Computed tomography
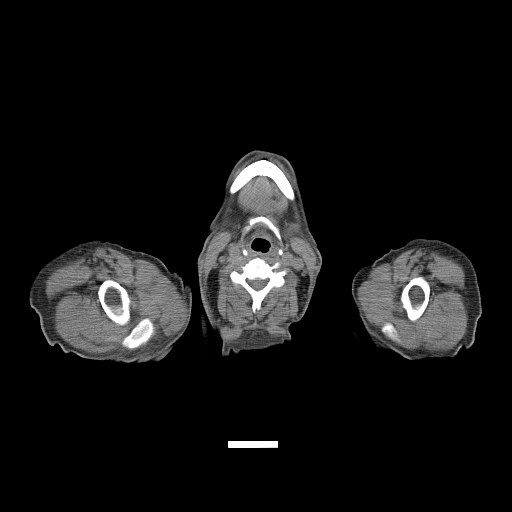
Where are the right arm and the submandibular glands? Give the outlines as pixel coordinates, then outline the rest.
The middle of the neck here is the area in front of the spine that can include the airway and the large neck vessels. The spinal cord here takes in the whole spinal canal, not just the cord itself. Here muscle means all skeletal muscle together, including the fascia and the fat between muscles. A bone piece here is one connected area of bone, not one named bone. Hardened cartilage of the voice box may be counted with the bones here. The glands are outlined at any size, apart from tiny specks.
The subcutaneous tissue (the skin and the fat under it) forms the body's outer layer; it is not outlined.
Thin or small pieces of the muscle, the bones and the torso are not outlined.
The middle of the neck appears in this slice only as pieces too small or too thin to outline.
The right arm is outlined by 96,239 151,254 190,284 192,309 189,323 184,333 162,360 128,363 88,359 74,353 66,353 57,344 50,345 43,335 39,316 29,304 29,290 32,281 42,266 55,256 76,244. The submandibular glands are outlined by 286,222 288,224 289,224 290,225 295,225 296,226 299,226 299,229 297,231 297,232 295,232 294,233 292,233 290,235 289,235 286,238 285,238 285,236 283,234 283,229 284,228 284,226 285,225 285,223. The head and neck is outlined by 254,149 281,154 294,169 309,227 321,254 322,265 304,315 299,321 289,326 290,341 265,349 244,350 237,354 231,352 223,358 221,341 201,306 197,260 208,233 208,227 222,202 223,187 230,170 242,156 with a hole at 258,238 259,238 260,239 263,239 264,240 265,240 265,241 266,242 267,242 267,249 265,249 263,251 262,250 260,250 259,249 256,249 254,247 254,246 253,245 254,244 254,240 255,240 256,239 257,239. The muscle appears in 4 outlined pieces: piece 1: 256,176 270,178 286,198 290,201 296,199 302,228 315,253 317,268 305,284 296,316 283,325 284,335 273,336 266,331 250,330 227,342 222,331 223,322 210,290 205,287 202,261 222,220 228,194 236,193, around holes outlined by 252,258 262,258 270,265 279,262 280,267 287,270 287,273 284,276 284,284 280,287 273,287 262,300 260,308 254,313 252,310 252,298 250,294 240,284 234,284 229,276 232,270 239,271 240,266 244,265 and by 257,216 263,216 267,218 276,227 278,228 279,233 281,237 281,243 279,242 277,238 274,235 272,230 269,227 261,222 258,222 254,224 250,230 247,233 243,235 244,228 249,223 249,220 251,218 253,218; piece 2: 98,246 113,248 133,259 148,260 173,282 187,304 186,319 176,333 138,348 156,330 147,316 121,340 121,345 131,350 106,353 74,347 58,334 54,327 54,309 45,294 45,281 55,268 86,254 89,256; inner edge: 107,279 111,279 118,282 125,288 130,298 130,319 129,320 129,322 125,325 123,325 122,326 121,325 118,325 112,321 107,316 103,310 102,306 100,303 97,291 98,290 99,285 104,280 106,280; piece 3: 414,247 426,248 437,251 442,255 450,256 463,267 465,273 465,292 463,295 468,315 467,326 463,337 450,349 408,349 379,338 374,334 375,328 367,321 358,301 357,289 374,267 382,263 390,263 402,252, around holes outlined by 417,276 422,276 428,282 429,286 430,287 430,292 429,293 429,299 423,313 415,321 411,321 407,317 406,312 402,306 402,304 400,301 400,296 401,295 401,293 404,286 412,278 416,277 and by 386,322 389,322 390,323 391,323 394,326 395,329 397,331 397,333 398,334 398,336 399,337 399,341 398,342 396,342 395,341 393,341 392,340 389,339 387,337 386,337 381,332 381,327; piece 4: 256,155 270,156 279,160 285,166 285,167 290,173 294,182 294,190 290,181 286,176 285,173 274,162 266,158 260,158 259,159 254,160 244,166 238,172 238,173 234,177 232,181 232,178 235,171 246,160. The bones appear in 7 outlined pieces: piece 1: 252,258 262,258 270,265 279,262 280,267 287,270 287,273 284,276 284,284 280,287 273,287 262,300 260,308 254,313 252,310 252,298 250,294 240,284 234,284 229,276 232,270 239,271 240,266 244,265 with a hole at 248,279 249,280 254,280 255,279 261,279 262,280 264,280 265,279 267,279 268,280 267,281 267,282 266,283 266,284 262,288 261,288 258,290 256,290 255,289 254,289 248,283 248,282 247,281 247,280; piece 2: 107,279 111,279 118,282 125,288 130,298 130,319 129,320 129,322 125,325 123,325 122,326 121,325 118,325 112,321 107,316 103,310 102,306 100,303 97,291 98,290 99,285 104,280 106,280; piece 3: 260,159 266,159 274,163 284,173 294,191 295,198 293,200 290,200 287,197 286,197 280,190 276,183 270,177 265,175 256,175 251,178 236,192 234,193 230,193 229,192 229,187 239,172 244,167 250,163; piece 4: 417,276 422,276 428,282 429,286 430,287 430,292 429,293 429,299 423,313 415,321 411,321 407,317 406,312 402,306 402,304 400,301 400,296 401,295 401,293 404,286 412,278 416,277; piece 5: 147,317 149,318 153,322 153,324 154,325 154,328 155,329 154,331 154,333 150,338 150,339 145,344 143,344 139,347 137,348 135,348 134,349 128,349 124,347 121,343 124,337 129,333 131,329 139,321; piece 6: 257,216 263,216 267,218 276,227 278,228 279,233 281,237 281,243 279,242 276,236 273,233 272,230 269,227 261,222 258,222 254,224 250,230 247,233 243,235 244,228 249,223 249,220 251,218 253,218; piece 7: 386,322 389,322 390,323 391,323 394,326 395,329 397,331 397,333 398,334 398,336 399,337 399,341 398,342 396,342 395,341 393,341 392,340 389,339 387,337 386,337 381,332 381,327. The left arm is outlined by 414,238 435,238 452,244 468,256 476,272 480,290 482,311 477,321 474,341 468,348 462,347 453,357 411,360 391,351 377,349 366,337 366,332 352,300 351,282 354,274 361,267 372,263 390,249 398,248. The torso is outlined by 201,309 203,311 210,326 210,327 208,328 208,336 209,337 208,338 209,339 209,357 208,359 202,359 200,357 201,353 202,352 202,350 203,349 203,337 202,336 202,330 201,329 201,320 200,319 201,318. The spinal cord is outlined by 248,279 249,280 254,280 255,279 261,279 262,280 264,280 265,279 267,279 268,280 267,281 267,282 266,283 266,284 262,288 261,288 258,290 256,290 255,289 254,289 248,283 248,282 247,281 247,280.